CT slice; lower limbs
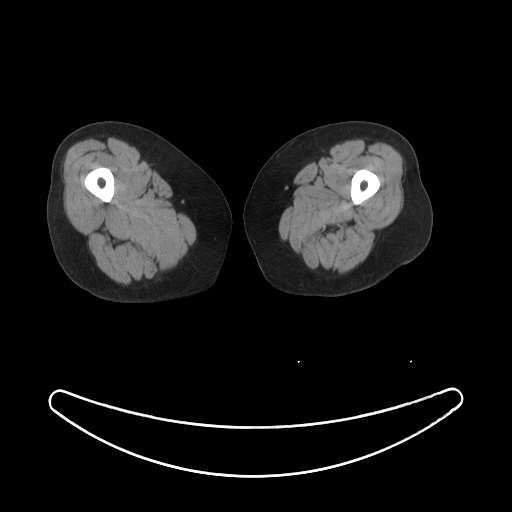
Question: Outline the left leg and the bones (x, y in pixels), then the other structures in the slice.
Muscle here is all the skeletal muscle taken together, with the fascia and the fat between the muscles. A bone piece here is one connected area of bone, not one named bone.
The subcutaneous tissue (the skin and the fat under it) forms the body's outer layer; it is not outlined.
Answer: Outlines (x, y in pixels):
left leg: (345, 120) (367, 120) (387, 125) (401, 133) (410, 142) (416, 153) (420, 176) (432, 205) (433, 225) (430, 239) (425, 249) (415, 259) (365, 290) (338, 297) (302, 296) (284, 293) (266, 281) (258, 266) (244, 230) (242, 215) (245, 200) (257, 173) (282, 144) (308, 129)
bones 1: (99, 166) (104, 166) (105, 167) (108, 167) (111, 170) (113, 174) (113, 176) (114, 177) (114, 193) (113, 194) (113, 196) (111, 200) (109, 202) (104, 202) (102, 201) (99, 198) (95, 196) (85, 187) (83, 183) (83, 180) (86, 174) (91, 170)
bones 2: (362, 168) (366, 168) (376, 174) (379, 178) (379, 180) (380, 181) (380, 185) (378, 190) (372, 196) (366, 199) (361, 204) (357, 204) (356, 205) (353, 203) (351, 199) (351, 196) (350, 195) (350, 183) (351, 182) (351, 178) (354, 174) (355, 171) (358, 169) (361, 169)
right leg: (102, 120) (130, 122) (156, 132) (205, 170) (223, 192) (231, 210) (232, 229) (223, 265) (215, 284) (208, 290) (190, 297) (169, 301) (120, 303) (90, 294) (72, 282) (62, 270) (55, 257) (46, 222) (46, 199) (50, 185) (52, 159) (56, 148) (66, 135) (82, 125)
muscle 1: (106, 134) (123, 139) (141, 151) (155, 168) (174, 186) (191, 211) (198, 225) (196, 240) (183, 259) (173, 270) (166, 273) (161, 281) (148, 287) (122, 287) (111, 281) (98, 268) (84, 239) (72, 226) (63, 209) (64, 184) (62, 180) (62, 164) (67, 150) (80, 140) with a hole at (99, 166) (104, 166) (105, 167) (108, 167) (111, 170) (113, 174) (113, 176) (114, 177) (114, 193) (113, 194) (113, 196) (111, 200) (109, 202) (104, 202) (102, 201) (99, 198) (95, 196) (85, 187) (83, 183) (83, 180) (86, 174) (91, 170)
muscle 2: (356, 138) (373, 138) (386, 142) (403, 155) (407, 175) (407, 182) (402, 186) (404, 205) (394, 221) (380, 232) (371, 252) (361, 264) (340, 278) (327, 279) (312, 273) (300, 258) (280, 241) (278, 223) (287, 183) (291, 176) (298, 169) (318, 157) (333, 145) (348, 139), around a hole outlined by (362, 168) (366, 168) (376, 174) (379, 178) (379, 180) (380, 181) (380, 185) (378, 190) (372, 196) (366, 199) (361, 204) (357, 204) (356, 205) (353, 203) (351, 199) (351, 196) (350, 195) (350, 183) (351, 182) (351, 178) (354, 174) (355, 171) (358, 169) (361, 169)